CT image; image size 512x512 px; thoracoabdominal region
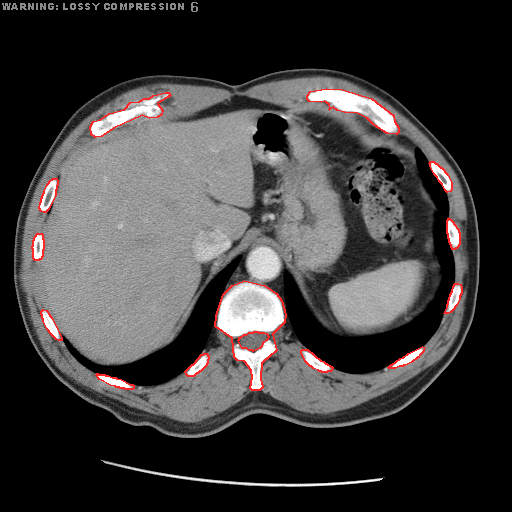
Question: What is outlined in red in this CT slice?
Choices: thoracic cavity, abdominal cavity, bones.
Answer: red: bones.
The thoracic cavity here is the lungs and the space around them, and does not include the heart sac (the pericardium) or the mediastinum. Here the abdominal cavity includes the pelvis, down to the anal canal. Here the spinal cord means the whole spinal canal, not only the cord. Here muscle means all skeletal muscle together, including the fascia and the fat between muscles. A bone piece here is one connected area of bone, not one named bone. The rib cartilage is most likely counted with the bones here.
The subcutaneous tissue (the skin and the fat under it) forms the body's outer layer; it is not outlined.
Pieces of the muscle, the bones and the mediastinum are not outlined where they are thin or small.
{"bones":[{"outer":[[244,280],[264,285],[276,293],[281,300],[285,314],[284,322],[272,334],[276,350],[261,363],[260,378],[262,387],[259,390],[252,390],[250,388],[252,377],[251,370],[244,361],[237,360],[234,357],[232,338],[215,326],[216,315],[223,294],[232,285]],"hole":[[254,331],[257,331],[258,332],[264,332],[266,333],[268,336],[267,339],[262,343],[261,346],[259,348],[253,351],[252,350],[249,350],[246,348],[242,348],[238,340],[239,339],[239,337],[240,337],[244,334],[246,334],[249,332],[253,332]]},[[326,88],[342,89],[371,98],[393,115],[394,121],[398,127],[398,132],[396,134],[387,133],[374,125],[367,118],[357,113],[344,112],[337,110],[333,107],[329,109],[330,108],[329,104],[324,101],[321,102],[309,101],[307,99],[307,95],[310,91]],[[165,92],[168,92],[170,95],[157,103],[162,110],[161,114],[157,117],[149,118],[142,115],[113,128],[101,136],[95,137],[91,134],[90,126],[93,121],[100,119],[109,113],[124,109],[130,102],[139,101],[144,98],[149,98],[153,95]],[[53,178],[56,178],[57,180],[57,185],[56,186],[56,189],[55,190],[55,195],[48,209],[45,212],[43,212],[41,211],[39,208],[40,202],[41,201],[41,198],[42,197],[42,195],[44,192],[44,190],[47,184],[49,182],[49,181]],[[302,349],[307,349],[320,360],[323,361],[325,363],[326,363],[330,366],[331,366],[332,367],[331,370],[330,371],[327,371],[326,372],[322,372],[321,371],[319,371],[318,370],[313,368],[311,366],[310,366],[305,361],[305,360],[301,353],[301,350]],[[430,161],[433,161],[435,163],[436,163],[440,167],[441,167],[447,174],[451,182],[451,189],[450,191],[447,192],[445,190],[442,184],[439,181],[437,177],[434,174],[430,166],[430,164],[429,163]],[[97,373],[98,374],[104,374],[105,375],[108,375],[112,377],[115,377],[116,378],[121,379],[130,384],[132,384],[133,385],[133,388],[132,389],[125,389],[124,388],[120,388],[119,387],[116,387],[115,386],[110,385],[99,379],[96,375]],[[422,346],[424,347],[423,349],[423,351],[419,355],[418,357],[417,357],[411,362],[405,365],[403,365],[402,366],[399,366],[395,368],[389,368],[388,367],[391,364],[392,364],[400,358],[403,357],[408,353]],[[448,218],[449,218],[453,222],[453,223],[458,229],[458,231],[459,232],[459,244],[458,245],[458,246],[456,248],[455,248],[454,249],[452,249],[452,248],[451,247],[451,245],[449,242],[449,239],[448,238],[448,234],[447,233],[447,220],[448,219]],[[204,353],[206,353],[208,356],[208,359],[207,360],[207,363],[206,364],[206,365],[200,371],[199,371],[197,373],[196,373],[193,376],[188,376],[186,374],[185,371],[192,364],[193,364],[196,361],[196,360],[200,356],[200,355],[201,354],[203,354]],[[455,283],[458,283],[460,284],[461,286],[461,293],[459,296],[459,299],[456,305],[454,307],[454,308],[450,312],[448,313],[444,313],[447,307],[447,304],[448,303],[448,300],[449,299],[450,294],[452,291],[453,286]],[[43,309],[46,310],[49,314],[49,315],[51,317],[61,337],[61,340],[58,340],[56,339],[49,332],[49,331],[47,329],[43,321],[43,319],[42,318],[42,315],[41,314],[41,311]],[[37,233],[41,233],[42,234],[42,238],[43,239],[43,249],[42,250],[42,256],[41,257],[41,258],[40,259],[39,259],[38,260],[35,260],[33,258],[33,249],[32,248],[32,246],[33,245],[33,240],[34,239],[34,237],[36,235],[36,234]]],"thoracic_cavity":[[[416,148],[426,158],[448,201],[446,233],[454,262],[454,283],[446,307],[429,339],[389,365],[361,373],[335,368],[304,346],[285,323],[284,273],[293,280],[315,321],[339,338],[383,334],[421,314],[435,298],[443,274],[435,243],[438,205],[422,179]],[[236,258],[239,259],[225,284],[215,315],[215,329],[211,333],[207,345],[184,371],[164,382],[139,385],[115,376],[95,372],[82,364],[71,353],[63,340],[63,338],[67,340],[82,356],[101,366],[122,366],[146,358],[169,346],[180,335],[208,285]]],"muscle":[[[314,75],[348,80],[388,102],[432,142],[458,178],[467,212],[463,223],[467,291],[459,331],[445,354],[398,386],[329,414],[300,411],[260,391],[262,363],[276,352],[273,334],[284,323],[306,348],[300,350],[304,361],[322,373],[333,368],[353,374],[387,366],[395,369],[420,356],[462,293],[461,284],[455,282],[453,256],[460,232],[449,217],[447,195],[452,182],[441,166],[396,135],[399,127],[391,112],[371,97],[350,90],[310,90],[306,99],[324,102],[328,109],[233,95],[197,111],[165,115],[158,104],[171,95],[165,91],[130,101],[93,120],[89,131],[95,139],[78,147],[57,177],[46,184],[38,206],[46,212],[43,230],[35,234],[31,246],[32,258],[40,262],[45,304],[41,318],[48,332],[62,339],[99,380],[125,390],[161,384],[183,372],[193,377],[208,363],[208,354],[202,353],[216,329],[231,338],[233,357],[248,366],[249,388],[258,391],[201,421],[183,422],[129,406],[62,372],[36,334],[20,267],[31,199],[68,134],[101,106],[139,86],[175,83],[244,91],[264,82]]],"spinal_cord":[[[254,331],[257,331],[258,332],[264,332],[266,333],[268,336],[267,339],[262,343],[261,346],[259,348],[253,351],[252,350],[249,350],[246,348],[242,348],[238,340],[239,339],[239,337],[240,337],[244,334],[246,334],[249,332],[253,332]]],"mediastinum":[[[252,244],[265,244],[268,246],[270,246],[281,257],[284,269],[283,273],[284,308],[282,300],[276,292],[266,285],[258,283],[252,280],[248,279],[240,280],[232,284],[224,292],[226,284],[239,262],[240,256],[244,252],[246,248],[249,246],[251,246]]],"abdominal_cavity":[[[233,96],[361,116],[416,147],[421,179],[437,205],[434,243],[442,277],[434,298],[400,327],[339,337],[310,313],[280,254],[252,243],[211,280],[169,345],[127,364],[91,361],[62,338],[40,285],[42,232],[60,171],[78,148],[136,118],[189,114]]],"torso":[[[301,67],[341,70],[381,87],[459,165],[473,198],[480,249],[475,311],[459,351],[401,410],[342,427],[308,427],[256,413],[207,436],[177,437],[123,422],[82,399],[33,347],[13,282],[19,209],[55,137],[84,102],[126,79],[173,74],[239,84]]]}